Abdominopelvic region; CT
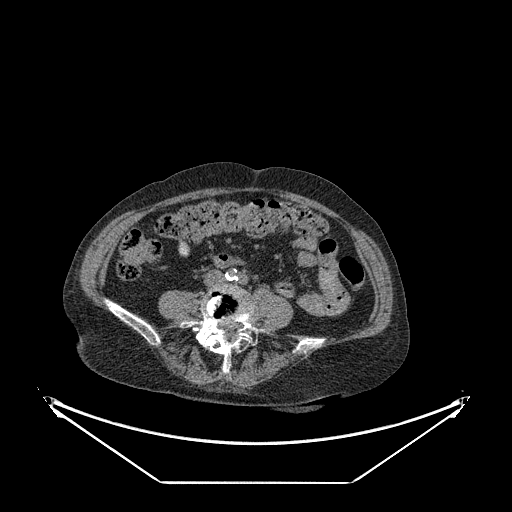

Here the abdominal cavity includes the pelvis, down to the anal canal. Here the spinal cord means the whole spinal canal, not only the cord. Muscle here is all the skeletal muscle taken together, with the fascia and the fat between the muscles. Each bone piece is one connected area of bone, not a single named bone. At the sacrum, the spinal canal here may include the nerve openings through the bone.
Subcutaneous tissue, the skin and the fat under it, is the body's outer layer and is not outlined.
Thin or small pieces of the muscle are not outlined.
Outlines:
abdominal cavity: 240 192; 266 192; 304 204; 335 219; 348 232; 374 290; 370 317; 361 327; 325 335; 281 333; 294 309; 264 286; 250 293; 238 285; 215 284; 200 300; 197 291; 169 289; 157 301; 166 325; 106 295; 109 261; 130 226; 167 206
torso: 216 161; 314 173; 340 187; 378 223; 397 262; 410 331; 407 355; 385 381; 346 398; 324 399; 326 404; 315 411; 286 413; 193 401; 131 387; 95 373; 81 361; 75 346; 76 332; 62 305; 62 289; 84 235; 111 207; 144 185
bones 1: 221 284; 238 286; 248 291; 256 305; 252 323; 258 328; 267 330; 258 333; 255 345; 249 345; 239 353; 232 352; 229 374; 221 371; 223 361; 221 354; 203 347; 189 327; 179 326; 184 320; 201 319; 200 304; 204 294; 213 286, around a hole outlined by 221 321; 233 321; 234 322; 239 322; 243 324; 242 326; 237 330; 233 338; 232 338; 229 341; 226 341; 224 337; 224 335; 223 334; 224 332; 223 329; 222 328; 217 327; 218 325; 218 323
bones 2: 105 296; 106 297; 108 297; 113 301; 119 304; 122 307; 125 308; 127 310; 150 323; 159 334; 161 338; 161 343; 158 346; 153 346; 149 344; 139 333; 116 317; 107 308; 106 305; 104 303; 103 301; 103 297
bones 3: 302 336; 325 336; 326 337; 326 340; 321 346; 321 347; 320 347; 317 349; 311 349; 310 350; 309 350; 306 354; 294 354; 293 353; 292 353; 292 352; 291 351; 294 347; 294 346; 297 343; 299 338
spinal cord: 221 321; 233 321; 234 322; 239 322; 243 324; 242 326; 237 330; 233 338; 232 338; 229 341; 226 341; 224 337; 224 335; 223 334; 224 332; 223 329; 222 328; 217 327; 218 325; 218 323
muscle 1: 259 287; 284 298; 293 309; 289 323; 279 333; 308 335; 298 338; 291 353; 306 355; 315 350; 260 387; 245 389; 224 380; 192 384; 172 374; 144 340; 153 347; 162 343; 153 325; 141 317; 159 326; 168 324; 158 310; 164 292; 197 292; 201 318; 184 319; 178 326; 189 328; 203 348; 221 355; 220 371; 229 375; 233 352; 255 346; 259 333; 268 331; 253 323; 257 305; 251 294
muscle 2: 213 185; 257 186; 296 193; 323 204; 370 236; 381 250; 391 276; 393 302; 389 324; 375 335; 322 347; 327 340; 326 335; 361 328; 370 319; 375 304; 375 290; 371 277; 356 252; 351 235; 335 218; 304 203; 266 191; 240 191; 205 196; 167 205; 144 215; 121 234; 107 264; 102 285; 105 295; 102 301; 113 315; 96 306; 81 288; 79 274; 85 253; 101 230; 111 220; 127 211